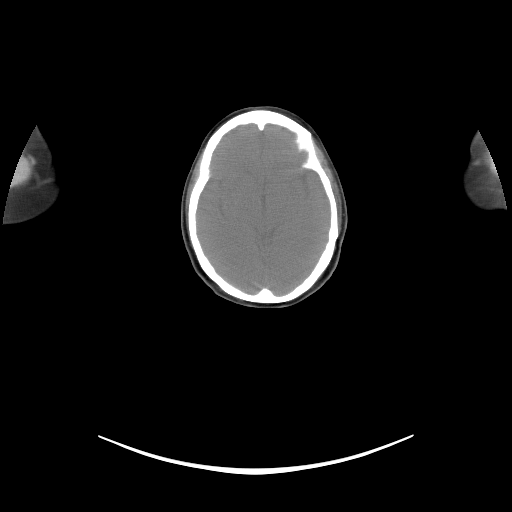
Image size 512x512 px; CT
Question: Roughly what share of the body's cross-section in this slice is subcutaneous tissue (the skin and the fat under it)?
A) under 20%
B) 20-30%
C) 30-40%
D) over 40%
Answer: B) 20-30%
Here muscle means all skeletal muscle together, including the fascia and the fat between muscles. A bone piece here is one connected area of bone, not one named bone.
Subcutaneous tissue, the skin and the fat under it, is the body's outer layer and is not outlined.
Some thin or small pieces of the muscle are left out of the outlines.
brain: (249, 124) (255, 125) (259, 131) (270, 124) (294, 134) (297, 150) (306, 153) (300, 167) (317, 175) (329, 207) (327, 238) (317, 260) (299, 283) (281, 294) (266, 286) (252, 293) (228, 281) (206, 255) (198, 235) (197, 210) (201, 194) (212, 175) (213, 154) (227, 133)
bones: (254, 109) (267, 109) (282, 113) (310, 131) (315, 145) (316, 155) (330, 181) (337, 210) (338, 236) (333, 255) (327, 267) (309, 289) (291, 300) (278, 303) (247, 301) (234, 297) (222, 290) (200, 266) (188, 234) (190, 195) (199, 173) (201, 155) (208, 139) (228, 119) with a hole at (249, 124) (255, 125) (259, 131) (270, 124) (294, 134) (297, 150) (306, 153) (300, 167) (317, 175) (329, 207) (327, 238) (317, 260) (299, 283) (281, 294) (266, 286) (252, 293) (228, 281) (206, 255) (198, 235) (197, 210) (201, 194) (212, 175) (213, 154) (227, 133)
right arm: (37, 125) (39, 126) (44, 134) (51, 148) (53, 158) (57, 167) (57, 171) (62, 183) (61, 197) (59, 201) (51, 209) (39, 217) (22, 223) (4, 225) (3, 224) (4, 210) (8, 192) (12, 182) (13, 174) (16, 166) (17, 168) (18, 167) (22, 151) (32, 131)
muscle 1: (24, 148) (35, 157) (35, 159) (36, 160) (36, 165) (35, 166) (34, 174) (28, 181) (26, 181) (21, 184) (16, 185) (14, 187) (10, 187) (10, 185) (12, 182) (13, 174) (15, 171) (16, 166) (17, 168) (18, 167) (20, 157) (22, 154) (22, 151)
muscle 2: (313, 136) (317, 141) (319, 147) (321, 149) (325, 158) (328, 162) (328, 165) (333, 173) (334, 178) (338, 187) (340, 199) (341, 200) (341, 229) (339, 233) (339, 230) (338, 229) (338, 210) (337, 209) (336, 199) (332, 188) (332, 184) (317, 155) (316, 145) (314, 142)
muscle 3: (201, 152) (200, 158) (199, 159) (199, 164) (198, 165) (198, 173) (192, 186) (192, 188) (189, 195) (189, 199) (188, 200) (188, 209) (187, 210) (187, 227) (186, 225) (186, 209) (185, 208) (185, 201) (186, 200) (187, 189) (190, 182) (190, 179) (191, 178) (193, 170)
muscle 4: (488, 152) (488, 153) (492, 160) (492, 162) (493, 163) (493, 165) (495, 168) (495, 170) (496, 171) (496, 173) (497, 174) (497, 176) (498, 177) (498, 178) (493, 175) (493, 174) (491, 172) (491, 171) (490, 170) (490, 168) (488, 166) (488, 161) (487, 160) (487, 153)
head: (252, 105) (273, 105) (288, 109) (302, 117) (314, 128) (339, 174) (346, 200) (348, 223) (336, 268) (330, 278) (317, 291) (300, 302) (287, 307) (249, 307) (236, 304) (215, 294) (194, 271) (181, 234) (180, 203) (182, 190) (192, 161) (204, 136) (214, 124) (228, 113)
left arm: (476, 129) (479, 131) (479, 133) (487, 148) (488, 153) (492, 160) (497, 176) (499, 179) (506, 205) (506, 213) (505, 214) (501, 211) (492, 212) (477, 209) (472, 206) (466, 200) (462, 192) (460, 181) (461, 180) (461, 173) (462, 169) (468, 159) (470, 139) (472, 134)